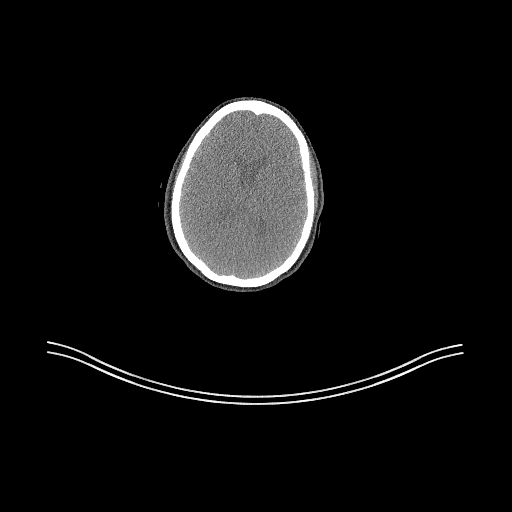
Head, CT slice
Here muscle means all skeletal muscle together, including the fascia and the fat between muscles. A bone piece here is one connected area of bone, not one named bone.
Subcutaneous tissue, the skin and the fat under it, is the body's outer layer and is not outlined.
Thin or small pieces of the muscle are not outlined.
Outlines:
head: 239,96 262,97 286,107 298,119 309,136 319,160 323,179 324,206 320,217 320,233 305,261 296,272 277,285 258,292 222,290 199,279 184,265 172,249 163,219 163,196 170,170 178,152 194,128 216,105
bones: 243,99 257,99 274,105 284,111 295,122 303,133 308,145 309,166 314,193 312,227 299,257 287,271 272,281 255,287 240,287 219,283 202,274 180,249 174,236 170,213 174,181 194,135 208,118 222,106, around a hole outlined by 241,111 249,111 256,116 272,116 282,122 291,132 298,147 306,207 299,236 289,254 278,265 268,271 247,277 241,277 233,273 218,273 212,269 191,248 185,235 181,218 183,185 197,150 204,139 223,118
brain: 241,111 249,111 256,116 272,116 282,122 291,132 298,147 306,207 299,236 289,254 278,265 268,271 247,277 241,277 233,273 218,273 212,269 191,248 185,235 181,218 183,185 197,150 204,139 223,118
muscle 1: 310,150 311,151 313,159 315,162 315,166 317,171 317,184 318,185 318,206 317,207 317,210 315,214 315,217 315,193 314,192 313,179 311,174 311,167 310,166 311,164 311,159 310,158
muscle 2: 184,153 184,155 183,156 183,157 182,158 182,160 180,163 180,166 178,169 178,171 176,173 176,174 175,175 175,177 175,174 176,173 176,171 177,170 177,168 179,165 179,163 180,162 180,160